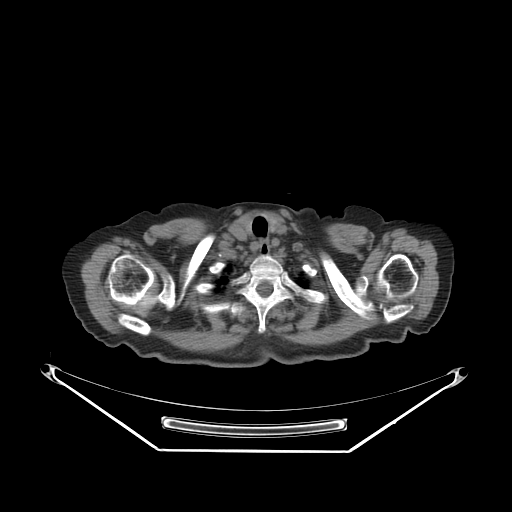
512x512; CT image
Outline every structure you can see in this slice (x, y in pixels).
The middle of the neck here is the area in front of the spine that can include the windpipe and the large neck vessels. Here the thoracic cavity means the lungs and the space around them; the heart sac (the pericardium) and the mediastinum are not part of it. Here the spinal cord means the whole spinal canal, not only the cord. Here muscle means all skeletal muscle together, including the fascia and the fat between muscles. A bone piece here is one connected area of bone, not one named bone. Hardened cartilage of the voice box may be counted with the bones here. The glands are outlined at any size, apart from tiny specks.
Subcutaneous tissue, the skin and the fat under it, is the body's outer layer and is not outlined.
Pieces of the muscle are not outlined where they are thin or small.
{"muscle":[{"outer":[[239,206],[285,209],[316,236],[321,235],[321,225],[327,222],[359,224],[375,234],[385,229],[405,228],[428,236],[437,251],[439,275],[432,308],[422,320],[394,322],[414,308],[404,300],[415,292],[419,281],[418,272],[405,253],[393,253],[375,273],[374,288],[383,293],[385,302],[376,304],[366,298],[368,277],[361,274],[353,286],[333,258],[322,250],[321,264],[339,299],[364,320],[375,320],[380,312],[386,324],[348,339],[310,346],[274,335],[250,334],[231,348],[200,353],[150,335],[152,328],[146,320],[123,311],[117,315],[117,321],[132,331],[109,332],[91,314],[80,276],[80,264],[98,245],[114,236],[139,241],[149,226],[178,217],[196,216],[217,222]],"holes":[[[255,215],[271,217],[285,226],[281,248],[271,255],[290,276],[304,264],[315,269],[315,275],[309,277],[311,288],[328,296],[323,303],[309,302],[299,296],[277,303],[268,310],[262,333],[258,332],[256,308],[235,292],[235,286],[227,283],[222,293],[211,290],[199,293],[194,287],[214,282],[219,275],[210,272],[209,267],[215,262],[232,264],[231,278],[247,269],[256,256],[239,253],[231,233],[234,226],[244,229]],[[208,233],[213,233],[215,237],[182,300],[170,310],[160,302],[134,307],[112,299],[107,274],[112,261],[121,254],[135,256],[152,270],[154,281],[147,290],[148,294],[156,295],[161,291],[163,282],[160,275],[163,273],[171,276],[178,296],[191,256]],[[227,301],[240,301],[244,306],[244,309],[240,313],[238,314],[236,314],[235,315],[234,315],[229,310],[222,310],[216,313],[206,313],[204,312],[201,309],[201,307],[200,306],[200,304],[213,304],[214,303],[220,303],[221,302],[226,302]]]}],"bones":[[[322,251],[332,258],[353,287],[357,279],[365,275],[368,279],[365,298],[376,305],[386,302],[384,293],[375,288],[376,273],[393,254],[405,254],[418,275],[414,292],[403,300],[413,308],[388,324],[380,311],[375,319],[362,318],[336,293],[322,264]],[[208,233],[213,233],[215,237],[182,300],[170,310],[160,302],[134,307],[112,299],[107,274],[112,261],[121,254],[135,256],[152,270],[154,281],[147,290],[148,294],[156,295],[161,291],[163,282],[160,275],[163,273],[171,276],[178,296],[191,256]],{"outer":[[267,253],[283,266],[289,277],[299,286],[323,292],[328,299],[323,303],[309,302],[299,296],[294,300],[285,299],[268,310],[265,316],[265,330],[259,333],[256,308],[242,295],[237,294],[235,292],[237,288],[230,286],[228,282],[246,270],[256,256]],"hole":[[263,281],[267,281],[271,285],[271,286],[272,287],[272,290],[271,291],[271,292],[267,296],[262,296],[261,295],[260,295],[259,294],[259,293],[257,291],[257,286],[260,283],[261,283]]},[[122,312],[124,313],[128,313],[132,315],[135,315],[136,316],[138,316],[140,318],[146,321],[149,324],[151,328],[151,332],[149,334],[149,335],[147,335],[146,336],[144,335],[142,335],[130,329],[128,329],[124,326],[121,325],[118,321],[118,315]],[[227,301],[240,301],[244,306],[244,309],[240,313],[238,314],[236,314],[235,315],[234,315],[229,310],[222,310],[216,313],[206,313],[204,312],[201,309],[201,307],[200,306],[200,304],[213,304],[214,303],[220,303],[221,302],[226,302]],[[202,282],[205,282],[206,283],[214,283],[215,284],[215,287],[214,288],[213,288],[208,293],[199,293],[195,289],[195,288],[194,287],[195,286],[195,285],[196,284],[197,284],[198,283],[201,283]],[[218,261],[219,262],[222,262],[223,263],[225,263],[226,264],[226,265],[225,266],[225,267],[222,270],[222,271],[221,271],[219,273],[219,274],[214,274],[213,273],[210,272],[210,271],[209,270],[209,267],[211,265],[212,265],[215,262],[217,262]],[[304,264],[308,264],[312,268],[313,268],[314,269],[315,269],[316,270],[316,273],[315,274],[315,275],[314,275],[313,276],[309,276],[308,275],[307,275],[305,273],[305,272],[301,268],[301,266],[302,265],[303,265]]],"spinal_cord":[[[263,281],[267,281],[271,285],[271,286],[272,287],[272,290],[271,291],[271,292],[267,296],[262,296],[261,295],[260,295],[259,294],[259,293],[257,291],[257,286],[260,283],[261,283]]],"thyroid_glands":[[[270,217],[271,217],[272,218],[273,218],[274,219],[275,219],[276,220],[277,220],[280,223],[280,225],[276,229],[276,230],[274,232],[272,232],[270,230]],[[250,222],[251,222],[251,234],[249,234],[245,230],[245,228],[246,227],[246,225],[248,223],[249,223]]],"torso":[[[180,201],[216,207],[272,202],[294,209],[311,206],[334,216],[357,204],[385,220],[407,220],[377,267],[381,296],[408,332],[405,340],[372,343],[349,358],[232,368],[167,363],[139,357],[123,344],[105,345],[145,315],[158,277],[143,210],[157,212]]],"middle_of_the_neck":[[[255,215],[263,215],[269,217],[269,230],[272,233],[274,233],[281,224],[285,226],[285,238],[279,251],[272,254],[267,252],[259,253],[257,255],[252,253],[238,252],[236,242],[232,237],[232,229],[234,226],[241,226],[249,235],[251,235],[251,220]]],"right_arm":[[[140,211],[143,211],[145,225],[157,277],[144,315],[105,341],[101,342],[97,340],[84,329],[81,322],[75,316],[73,312],[72,307],[68,301],[64,283],[61,276],[62,259],[66,251],[72,244],[83,239],[91,231],[105,225],[120,223]]],"left_arm":[[[409,221],[424,221],[434,222],[439,224],[446,230],[450,236],[454,247],[454,260],[455,261],[454,272],[452,276],[452,286],[447,306],[439,321],[427,333],[423,334],[414,334],[406,330],[398,320],[394,312],[388,306],[381,293],[381,285],[378,267]]],"thoracic_cavity":[[[230,263],[234,266],[234,270],[231,274],[231,275],[226,284],[226,289],[222,293],[213,293],[212,292],[212,290],[216,287],[216,284],[214,282],[214,281],[218,277],[218,276],[220,274],[220,273],[223,271],[223,270],[226,267],[227,264],[229,264]],[[298,270],[302,270],[304,272],[304,273],[310,278],[310,279],[311,280],[311,283],[312,284],[312,287],[311,288],[305,288],[304,287],[302,287],[300,285],[299,285],[292,278],[291,278],[290,277],[290,276],[291,275],[294,275],[297,272],[297,271]]]}